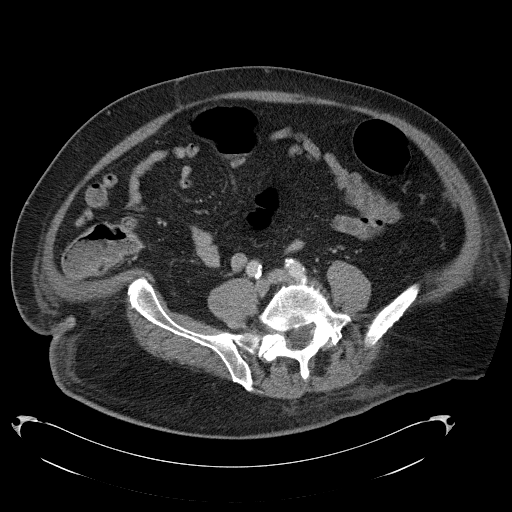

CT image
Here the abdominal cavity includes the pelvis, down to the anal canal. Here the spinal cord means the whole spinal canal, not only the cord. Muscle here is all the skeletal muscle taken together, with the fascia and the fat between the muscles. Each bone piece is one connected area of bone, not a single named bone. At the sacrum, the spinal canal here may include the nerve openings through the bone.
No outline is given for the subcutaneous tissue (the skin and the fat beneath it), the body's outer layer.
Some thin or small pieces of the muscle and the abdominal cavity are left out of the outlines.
The muscle appears in 2 outlined pieces: piece 1: 240 90; 277 90; 303 93; 367 107; 398 116; 429 135; 449 155; 464 176; 475 196; 483 221; 484 242; 476 271; 470 283; 449 295; 419 304; 402 317; 420 291; 420 283; 417 281; 429 271; 443 267; 459 254; 466 230; 461 209; 435 167; 422 149; 399 125; 383 117; 336 105; 230 98; 208 101; 183 109; 167 120; 154 133; 122 153; 88 179; 74 196; 58 227; 53 244; 53 261; 61 276; 71 282; 88 282; 135 267; 144 268; 152 275; 168 307; 175 312; 185 314; 220 329; 230 327; 210 311; 207 303; 210 291; 233 278; 247 279; 256 290; 259 310; 258 313; 247 319; 246 325; 250 327; 259 322; 261 333; 228 330; 212 334; 197 332; 179 324; 165 311; 154 287; 144 276; 134 278; 126 288; 131 308; 151 323; 212 350; 226 367; 231 381; 242 387; 155 357; 146 351; 133 337; 125 309; 126 296; 124 291; 92 302; 72 302; 57 295; 45 280; 41 263; 42 242; 53 215; 87 171; 112 147; 155 117; 184 103; piece 2: 336 260; 355 266; 369 280; 371 295; 363 313; 380 309; 366 327; 364 346; 375 345; 397 322; 374 364; 356 381; 295 399; 252 393; 252 372; 239 348; 267 362; 294 359; 306 381; 309 360; 342 338; 352 318; 331 305; 326 274. The bones appear in 2 outlined pieces: piece 1: 139 277; 151 284; 176 323; 201 334; 261 334; 260 313; 283 285; 296 283; 320 291; 335 312; 351 321; 335 345; 328 342; 308 360; 306 380; 294 358; 267 361; 239 347; 251 372; 250 392; 232 381; 212 349; 131 307; 127 288, around a hole outlined by 308 325; 312 325; 313 326; 309 330; 309 333; 311 335; 311 336; 307 344; 302 348; 292 348; 288 346; 288 344; 287 343; 288 341; 287 340; 287 336; 288 334; 289 334; 292 330; 296 330; 301 327; 303 327; 304 326; 307 326; piece 2: 414 282; 418 282; 419 283; 419 291; 415 299; 405 310; 401 317; 386 331; 386 332; 375 343; 375 344; 370 347; 366 347; 364 344; 364 334; 367 329; 368 325; 371 322; 372 319; 384 306; 389 303; 410 284. The abdominal cavity is outlined by 230 99; 336 106; 399 126; 460 209; 458 254; 368 313; 370 280; 336 259; 325 274; 331 304; 310 284; 283 284; 250 326; 260 310; 257 290; 233 277; 206 297; 228 328; 172 309; 144 267; 64 278; 54 244; 86 182; 176 114. The spinal cord is outlined by 308 325; 312 325; 313 326; 309 330; 309 333; 311 335; 311 336; 307 344; 302 348; 292 348; 288 346; 288 344; 287 343; 288 341; 287 340; 287 336; 288 334; 289 334; 292 330; 296 330; 301 327; 303 327; 304 326; 307 326. The torso is outlined by 244 65; 301 69; 391 92; 434 115; 465 144; 490 185; 510 242; 507 302; 483 376; 407 392; 319 428; 253 439; 140 426; 69 397; 56 385; 48 360; 51 337; 23 321; 11 288; 12 238; 28 195; 70 136; 107 104; 164 80.